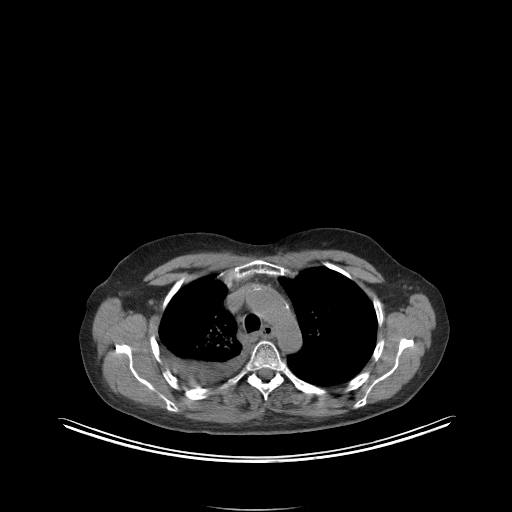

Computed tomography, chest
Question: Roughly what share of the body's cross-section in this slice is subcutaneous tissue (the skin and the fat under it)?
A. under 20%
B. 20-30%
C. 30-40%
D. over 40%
Answer: B. 20-30%
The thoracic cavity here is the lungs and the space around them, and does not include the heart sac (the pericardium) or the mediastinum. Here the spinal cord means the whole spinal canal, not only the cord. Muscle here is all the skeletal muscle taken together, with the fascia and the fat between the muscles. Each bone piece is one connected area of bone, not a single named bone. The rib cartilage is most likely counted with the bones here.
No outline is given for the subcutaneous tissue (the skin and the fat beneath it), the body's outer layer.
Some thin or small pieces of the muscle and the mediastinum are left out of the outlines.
torso: 325 226; 370 236; 397 261; 434 284; 443 297; 450 325; 444 354; 430 378; 404 405; 356 423; 320 430; 219 435; 187 433; 150 424; 114 409; 94 390; 82 363; 78 341; 86 300; 115 265; 138 246; 191 231; 265 244; 299 230
mediastinum: 254 274; 278 277; 279 283; 293 306; 301 333; 302 344; 298 351; 289 354; 285 360; 282 358; 275 344; 270 340; 261 339; 252 348; 247 343; 244 343; 237 335; 237 324; 233 316; 223 307; 223 301; 228 293; 226 284
spinal cord: 262 368; 268 368; 269 369; 270 369; 272 371; 273 371; 273 375; 272 376; 272 377; 270 379; 269 379; 268 380; 263 380; 260 377; 259 377; 259 376; 258 375; 258 371; 260 369; 261 369
bones 1: 261 340; 267 340; 274 344; 281 358; 286 362; 293 374; 303 381; 326 389; 326 394; 307 394; 298 390; 288 380; 274 388; 268 394; 266 400; 256 387; 243 380; 234 386; 222 390; 219 389; 222 383; 240 372; 248 361; 252 349; inner edge: 262 368; 268 368; 269 369; 270 369; 272 371; 273 371; 273 375; 272 376; 272 377; 270 379; 269 379; 268 380; 263 380; 260 377; 259 377; 259 376; 258 375; 258 371; 260 369; 261 369
bones 2: 255 259; 262 259; 265 261; 277 264; 292 271; 297 271; 297 273; 294 276; 276 276; 264 273; 254 273; 247 277; 241 278; 237 280; 233 279; 229 283; 225 283; 221 279; 216 277; 219 273; 231 270; 236 266; 241 265
bones 3: 115 344; 127 344; 130 346; 132 354; 132 365; 138 375; 151 383; 159 392; 172 401; 179 409; 178 412; 174 412; 168 410; 166 408; 165 402; 158 394; 155 391; 150 390; 133 375; 129 367; 129 358; 128 356; 124 353; 115 353
bones 4: 403 337; 412 339; 414 342; 413 346; 405 348; 399 356; 398 365; 394 371; 387 377; 376 383; 372 387; 366 398; 366 404; 355 409; 353 408; 353 405; 355 402; 365 394; 365 392; 370 384; 375 379; 387 372; 394 365; 399 341
bones 5: 186 274; 192 274; 192 275; 195 278; 193 280; 187 283; 183 284; 168 302; 165 309; 163 311; 162 311; 161 308; 162 307; 162 304; 163 303; 163 301; 164 300; 164 298; 166 294; 174 284; 174 283; 182 276
bones 6: 198 385; 204 388; 211 388; 211 393; 207 397; 205 398; 203 398; 202 399; 197 399; 196 400; 191 400; 187 398; 184 394; 184 390; 183 389; 183 387; 186 387; 187 388; 194 388
bones 7: 366 370; 368 370; 369 371; 369 377; 365 382; 364 382; 360 386; 359 386; 357 388; 353 390; 350 390; 346 392; 345 392; 343 390; 344 388; 344 386; 345 385; 345 383; 349 381; 352 378; 355 377; 362 371; 365 371
bones 8: 374 296; 376 296; 380 300; 382 304; 382 311; 383 312; 383 316; 384 317; 383 318; 382 324; 380 327; 378 327; 378 322; 377 321; 377 317; 376 316; 376 313; 375 312; 375 310; 373 306; 373 303; 372 302; 372 298
bones 9: 166 368; 167 368; 171 372; 171 373; 174 376; 175 376; 178 379; 178 381; 179 382; 179 385; 181 387; 181 388; 180 389; 175 389; 174 388; 173 388; 166 381; 166 380; 164 378; 164 377; 163 376; 163 375; 162 374; 162 372
bones 10: 151 335; 154 335; 155 336; 155 338; 156 339; 156 340; 158 342; 158 344; 159 345; 159 347; 160 348; 160 357; 162 360; 161 363; 159 363; 156 360; 156 359; 152 352; 152 350; 151 349; 151 346; 150 345; 150 336
bones 11: 324 261; 327 261; 328 262; 330 262; 331 263; 333 263; 334 264; 337 265; 342 269; 345 270; 351 275; 353 280; 348 278; 343 274; 342 274; 335 270; 333 270; 330 268; 328 268; 327 267; 324 266; 322 264; 322 263
bones 12: 381 338; 382 338; 384 340; 384 344; 383 345; 383 348; 382 349; 381 354; 378 358; 378 359; 376 361; 373 361; 373 360; 372 359; 371 359; 371 356; 373 353; 373 351; 375 348; 375 346; 376 345; 376 343; 377 342; 377 341
thoracic cavity 1: 320 266; 335 271; 353 281; 371 301; 377 322; 376 342; 370 358; 361 371; 344 383; 326 387; 318 386; 303 380; 293 373; 287 364; 287 357; 295 354; 301 349; 303 339; 292 301; 279 281; 279 277; 293 278; 299 271; 305 268
thoracic cavity 2: 210 275; 216 275; 215 277; 225 284; 227 293; 222 301; 222 307; 232 316; 236 324; 237 337; 244 344; 247 344; 251 351; 239 372; 225 381; 210 387; 198 384; 190 387; 179 381; 164 361; 158 341; 158 328; 163 312; 182 286
muscle: 308 249; 343 250; 366 260; 384 279; 370 285; 377 296; 371 300; 348 271; 327 260; 298 271; 255 258; 196 279; 192 273; 186 273; 163 298; 158 339; 154 334; 149 336; 155 360; 161 364; 162 358; 167 366; 161 372; 163 378; 175 390; 182 388; 180 382; 188 386; 182 389; 191 401; 207 398; 212 386; 220 384; 218 389; 222 391; 242 381; 256 388; 265 401; 286 381; 307 395; 323 396; 328 392; 325 388; 341 384; 345 393; 353 391; 368 380; 370 371; 362 370; 370 359; 376 362; 384 348; 385 340; 377 340; 385 317; 382 302; 389 313; 405 307; 412 294; 423 293; 435 312; 435 331; 421 370; 393 396; 370 404; 367 398; 376 384; 395 371; 402 352; 414 346; 414 340; 404 336; 398 341; 393 365; 369 384; 352 405; 354 409; 326 417; 268 410; 260 419; 241 423; 193 420; 116 395; 104 385; 92 337; 93 318; 104 299; 117 297; 125 311; 148 318; 166 288; 148 285; 143 278; 174 257; 205 251; 264 256; inner edge: 115 344; 127 344; 130 346; 132 354; 132 365; 138 375; 151 383; 159 392; 172 401; 179 409; 178 412; 174 412; 168 410; 166 408; 165 402; 158 394; 155 391; 150 390; 133 375; 129 367; 129 358; 128 356; 124 353; 115 353